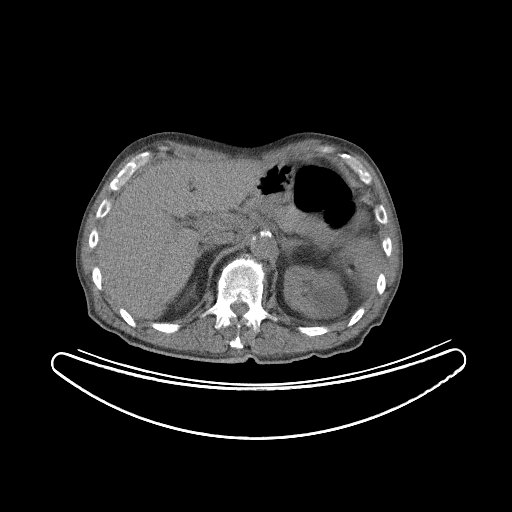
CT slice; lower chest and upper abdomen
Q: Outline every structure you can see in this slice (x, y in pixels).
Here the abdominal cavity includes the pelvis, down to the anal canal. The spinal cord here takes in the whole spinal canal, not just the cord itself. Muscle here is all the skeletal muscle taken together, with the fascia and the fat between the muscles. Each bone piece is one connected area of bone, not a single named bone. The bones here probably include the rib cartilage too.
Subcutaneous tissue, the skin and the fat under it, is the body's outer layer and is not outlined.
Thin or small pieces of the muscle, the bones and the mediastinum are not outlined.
A: Outlines (x, y in pixels):
abdominal cavity: 167 152; 202 160; 266 163; 320 155; 343 162; 373 198; 383 252; 371 293; 347 319; 327 325; 301 325; 278 305; 263 263; 242 253; 222 266; 215 285; 183 317; 173 322; 134 319; 103 285; 96 255; 99 231; 112 202; 136 170
muscle: 164 139; 177 141; 189 145; 194 145; 195 146; 206 147; 210 149; 215 149; 225 153; 230 153; 233 155; 238 153; 256 153; 261 151; 268 151; 276 148; 279 148; 290 143; 293 143; 305 139; 317 139; 324 142; 328 142; 331 144; 335 144; 341 147; 345 147; 361 155; 372 167; 380 181; 380 183; 387 198; 393 216; 393 219; 396 228; 397 240; 398 241; 398 267; 396 271; 395 279; 390 287; 389 293; 384 301; 378 315; 371 320; 357 335; 336 346; 326 349; 312 349; 311 350; 308 350; 303 352; 297 352; 292 354; 284 354; 282 356; 261 356; 251 351; 242 351; 241 352; 226 353; 225 354; 211 354; 208 352; 206 353; 201 353; 197 351; 191 351; 190 350; 178 350; 173 348; 163 347; 142 340; 106 322; 98 315; 95 310; 92 292; 86 281; 81 263; 81 245; 82 244; 82 238; 83 237; 85 224; 88 215; 96 198; 102 189; 105 182; 115 168; 131 153; 133 153; 138 149; 155 141; 163 140, around holes outlined by 147 150; 152 152; 153 158; 172 152; 202 160; 256 163; 310 155; 330 157; 342 163; 337 155; 342 152; 355 157; 371 176; 370 184; 366 185; 371 192; 373 205; 382 204; 387 215; 387 223; 377 222; 380 238; 382 240; 388 236; 392 246; 390 256; 381 253; 379 264; 379 272; 385 277; 384 291; 379 294; 373 287; 361 305; 364 308; 362 316; 351 326; 347 326; 348 318; 328 324; 329 330; 323 334; 309 336; 300 332; 297 327; 301 324; 278 305; 271 283; 266 279; 261 303; 277 320; 263 319; 258 332; 243 324; 240 328; 242 348; 230 346; 237 333; 233 323; 216 329; 214 314; 200 317; 216 300; 215 285; 193 309; 173 322; 180 325; 174 332; 157 330; 150 321; 136 320; 136 325; 131 326; 120 315; 120 307; 104 286; 99 290; 92 280; 92 269; 98 265; 98 260; 96 248; 89 247; 88 239; 92 229; 99 231; 104 221; 103 217; 95 217; 100 203; 105 198; 113 202; 120 191; 111 190; 110 182; 127 162 and by 322 146; 331 146; 334 149; 334 150; 332 152; 322 152; 321 151; 320 151; 319 150; 317 150; 317 148; 318 147; 321 147
torso: 162 131; 236 144; 258 144; 313 131; 362 147; 386 182; 403 240; 400 282; 382 323; 374 326; 358 347; 330 357; 313 355; 285 364; 258 364; 249 358; 230 364; 146 351; 94 322; 87 314; 75 267; 84 210; 117 154; 132 141
mediastinum: 349 167; 350 168; 351 169; 352 170; 353 171; 354 172; 355 173; 356 174; 357 175; 357 176; 358 177; 358 178; 357 178; 356 177; 355 176; 354 175; 353 174; 352 173; 351 172; 350 171; 350 170; 349 169; 349 168
bones 1: 242 254; 248 254; 262 263; 265 280; 261 303; 277 320; 263 319; 258 332; 243 324; 240 328; 243 347; 236 348; 230 346; 230 341; 237 333; 233 323; 216 329; 214 314; 203 317; 200 317; 200 314; 216 300; 216 284; 223 266 with a hole at 235 302; 242 302; 243 303; 245 303; 247 305; 247 307; 248 308; 247 309; 247 310; 243 314; 242 314; 240 316; 238 316; 232 310; 232 309; 231 308; 231 305; 233 303; 234 303
bones 2: 147 150; 151 151; 153 154; 152 157; 149 160; 149 161; 148 161; 146 163; 136 169; 131 175; 129 179; 118 190; 111 190; 109 187; 109 184; 110 182; 117 174; 117 173; 125 165; 125 164; 137 154; 141 152; 146 151
bones 3: 342 152; 344 152; 345 153; 347 153; 348 154; 349 154; 350 155; 355 157; 362 164; 363 167; 370 174; 370 175; 371 176; 371 182; 370 183; 370 184; 366 184; 365 183; 364 183; 359 178; 358 175; 337 155; 337 153; 341 153
bones 4: 298 326; 326 326; 327 327; 328 327; 328 328; 329 329; 329 330; 327 332; 326 332; 323 334; 320 334; 319 335; 314 335; 313 336; 309 336; 306 334; 304 334; 303 333; 302 333; 301 332; 300 332; 297 329; 297 327
bones 5: 151 322; 168 322; 169 323; 177 323; 180 325; 180 327; 176 331; 175 331; 174 332; 172 332; 171 333; 167 333; 166 332; 163 332; 162 331; 160 331; 159 330; 157 330; 156 329; 155 329; 153 327; 152 327; 150 324; 150 323
bones 6: 105 198; 107 198; 108 199; 109 199; 111 201; 111 208; 106 215; 105 215; 103 217; 102 217; 101 218; 96 218; 95 217; 95 214; 96 213; 96 211; 97 210; 97 209; 98 208; 98 207; 99 206; 100 203
bones 7: 378 204; 382 204; 382 205; 385 209; 385 211; 386 212; 386 214; 387 215; 387 219; 388 220; 387 223; 386 223; 385 224; 383 224; 382 223; 379 222; 376 219; 376 218; 375 217; 375 215; 374 214; 374 207
bones 8: 94 266; 97 266; 99 268; 99 269; 100 270; 100 272; 101 273; 101 279; 102 280; 102 289; 101 290; 99 290; 96 287; 96 286; 95 285; 95 284; 93 282; 93 281; 92 280; 92 269; 93 268; 93 267
bones 9: 361 306; 362 306; 364 308; 364 312; 363 313; 363 314; 362 315; 362 316; 354 324; 353 324; 351 326; 347 326; 347 324; 348 323; 348 322; 349 321; 349 319; 351 317; 351 316; 355 312; 355 311; 358 308; 359 308
bones 10: 94 228; 95 228; 98 231; 98 241; 97 242; 97 244; 96 245; 96 246; 94 248; 90 248; 89 247; 89 246; 88 245; 88 239; 89 238; 89 234; 90 233; 90 232; 92 230; 92 229; 93 229
bones 11: 379 273; 383 273; 384 274; 384 276; 385 277; 385 289; 384 290; 384 291; 381 294; 379 294; 378 293; 378 292; 377 291; 377 290; 376 289; 376 281; 377 280; 377 278; 378 277; 378 275; 379 274
bones 12: 121 307; 122 308; 123 308; 126 311; 127 311; 130 314; 130 315; 133 318; 133 319; 135 321; 135 322; 136 323; 136 325; 134 327; 133 327; 132 326; 131 326; 129 324; 128 324; 120 315; 120 314; 119 313; 119 308; 120 308
bones 13: 387 236; 388 236; 390 238; 390 239; 391 240; 391 245; 392 246; 392 250; 391 251; 391 254; 390 255; 390 256; 387 256; 385 254; 385 253; 384 252; 384 251; 383 250; 383 248; 382 247; 382 240; 385 237; 386 237
spinal cord: 235 302; 242 302; 243 303; 245 303; 247 305; 247 307; 248 308; 247 309; 247 310; 243 314; 242 314; 240 316; 238 316; 232 310; 232 309; 231 308; 231 305; 233 303; 234 303